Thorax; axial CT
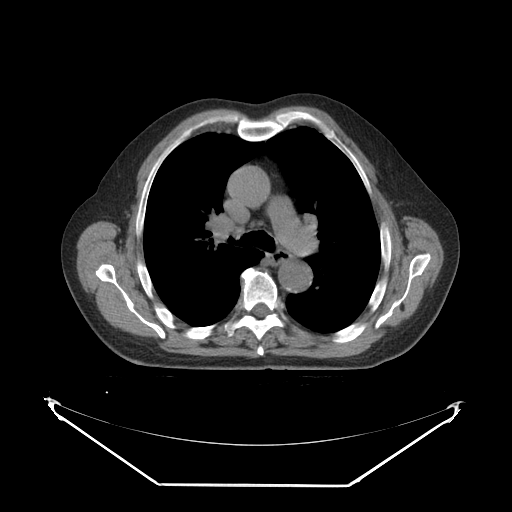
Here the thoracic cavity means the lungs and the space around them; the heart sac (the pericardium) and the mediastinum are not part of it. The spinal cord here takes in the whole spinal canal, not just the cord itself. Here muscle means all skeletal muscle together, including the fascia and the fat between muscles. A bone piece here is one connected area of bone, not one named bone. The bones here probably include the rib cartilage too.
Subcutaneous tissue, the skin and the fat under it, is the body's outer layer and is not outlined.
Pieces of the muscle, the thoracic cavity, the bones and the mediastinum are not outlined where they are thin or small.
The thoracic cavity appears in 2 outlined pieces: piece 1: 216,130 236,134 248,142 264,143 257,155 228,176 219,214 229,228 227,236 234,246 257,250 262,256 239,274 240,294 226,317 211,324 190,326 171,312 154,289 144,258 144,221 154,178 167,156 192,136; piece 2: 294,124 314,127 348,158 366,190 378,225 380,265 372,292 365,307 353,322 330,333 314,331 300,324 286,312 282,299 289,294 306,292 314,277 306,259 312,253 312,249 302,214 278,164 264,151 270,138. The mediastinum is outlined by 265,140 263,151 277,164 287,183 301,214 311,249 305,258 313,274 309,288 301,293 289,293 285,297 280,295 271,274 254,266 263,254 251,247 234,245 232,237 228,236 230,228 220,216 229,176 257,156. The torso is outlined by 296,92 323,94 354,109 391,141 454,216 460,240 459,263 447,297 431,326 403,354 362,369 164,368 135,364 114,353 97,337 82,316 63,276 60,244 73,212 95,192 122,149 169,110 207,97 259,103. The bones appear in 10 outlined pieces: piece 1: 290,110 308,112 334,131 359,161 369,181 371,197 349,158 310,122 294,123 262,141 241,138 235,123 216,122 196,129 163,160 147,197 142,236 137,237 136,215 148,174 184,129 216,115 237,114 265,120; piece 2: 249,267 254,267 259,270 265,270 270,274 277,285 279,295 285,306 285,325 282,327 271,327 260,340 258,340 254,333 246,326 236,328 231,336 228,336 222,328 222,325 234,313 235,305 241,294 240,274; inner edge: 259,303 262,303 263,304 264,304 268,308 268,309 269,310 269,312 264,317 263,317 262,318 258,318 257,317 256,317 253,314 252,314 252,310 253,309 253,308 257,304 258,304; piece 3: 103,263 110,264 113,266 115,271 116,281 132,301 135,310 147,321 159,325 165,332 165,337 164,338 161,338 150,326 142,322 139,318 128,308 121,292 113,283 108,281 102,281 96,275 95,273 96,269; piece 4: 422,253 429,253 430,255 430,259 427,265 419,275 415,276 411,280 410,287 406,296 393,309 392,314 377,328 375,328 375,323 377,319 380,316 385,314 389,310 392,304 403,295 409,277 410,261 415,255; piece 5: 382,221 384,221 386,223 389,229 389,231 390,232 390,238 391,239 391,257 390,258 390,262 389,263 389,267 388,268 388,270 386,271 384,269 384,267 381,262 381,243 380,242 380,232 379,231 379,225; piece 6: 354,322 363,322 366,324 366,326 365,328 358,336 357,336 352,340 350,340 346,342 342,342 341,343 338,343 337,342 334,342 332,341 331,338 332,337 332,334 334,332 336,331 338,331 343,328 345,328; piece 7: 139,256 140,256 144,260 147,271 149,274 149,276 153,286 153,290 152,291 152,293 153,294 153,298 152,299 149,298 146,294 141,284 141,282 137,272 136,261 137,260 137,258; piece 8: 383,277 386,277 387,279 387,283 386,284 386,287 385,288 385,292 377,308 373,312 370,312 370,309 369,307 367,306 368,301 373,292 373,290 375,287 376,282 378,280 381,279; piece 9: 215,323 216,323 216,327 215,327 212,330 212,332 211,333 211,334 202,339 192,339 191,338 188,338 183,335 183,333 184,332 184,331 189,327 201,327 202,326 207,326 208,325 211,325 212,324 214,324; piece 10: 156,302 158,302 159,303 162,303 170,311 170,312 175,317 174,318 174,324 175,325 175,328 170,328 169,327 166,326 159,319 159,318 157,316 157,315 154,310 154,307 153,306 154,303 155,303. The spinal cord is outlined by 259,303 262,303 263,304 264,304 268,308 268,309 269,310 269,312 264,317 263,317 262,318 258,318 257,317 256,317 253,314 252,314 252,310 253,309 253,308 257,304 258,304. The muscle appears in 2 outlined pieces: piece 1: 291,105 312,106 321,109 329,114 344,132 354,141 374,166 381,188 386,199 389,202 389,204 395,215 396,219 400,220 405,215 421,218 426,221 437,233 444,252 444,259 442,264 441,272 434,283 431,290 417,309 412,318 391,332 374,346 367,349 365,351 353,356 347,356 339,358 310,358 309,357 291,357 290,356 264,355 265,353 264,352 264,348 260,343 256,347 255,350 256,353 260,356 258,357 247,357 246,356 201,356 200,355 175,353 174,352 166,351 149,341 144,340 135,335 122,331 120,329 112,326 102,316 93,302 83,290 84,289 82,287 78,277 76,269 76,244 78,238 83,230 90,224 100,220 112,222 116,224 121,229 123,229 127,225 128,220 131,216 131,209 135,196 136,176 141,164 155,145 176,125 185,118 197,112 208,109 229,108 230,109 236,109 244,113 249,117 256,119 266,116 275,109, around holes outlined by 290,110 305,111 321,119 355,155 365,172 376,222 379,225 384,221 390,232 389,267 386,271 381,262 377,275 378,280 387,279 383,297 373,312 365,306 354,321 365,323 365,328 346,342 334,342 332,332 309,329 286,312 285,325 271,327 260,340 246,326 236,328 228,336 222,325 233,310 216,323 210,335 202,339 188,338 183,333 190,326 183,320 175,317 175,328 170,328 159,319 153,305 162,301 154,289 153,298 148,297 137,272 136,261 139,256 144,258 144,250 143,237 137,237 135,223 148,174 157,158 184,129 208,117 237,114 265,120 and by 103,263 110,264 113,266 115,271 116,281 132,301 135,310 147,321 159,325 165,332 165,337 164,338 161,338 150,326 142,322 139,318 128,308 121,292 113,283 108,281 102,281 96,275 95,273 96,269 and by 422,253 429,253 430,255 430,259 427,265 419,275 415,276 411,280 410,287 406,296 393,309 392,314 377,328 375,328 375,323 377,319 380,316 385,314 389,310 392,304 403,295 409,277 410,261 415,255; piece 2: 216,123 235,124 235,132 236,133 233,133 232,132 226,131 225,130 217,130 216,129 215,130 205,130 199,133 197,133 194,135 192,135 192,134 196,130 200,128 202,128 205,126 207,126 208,125 212,125.